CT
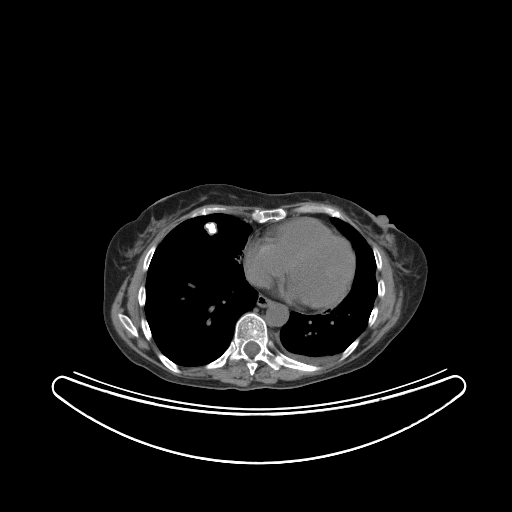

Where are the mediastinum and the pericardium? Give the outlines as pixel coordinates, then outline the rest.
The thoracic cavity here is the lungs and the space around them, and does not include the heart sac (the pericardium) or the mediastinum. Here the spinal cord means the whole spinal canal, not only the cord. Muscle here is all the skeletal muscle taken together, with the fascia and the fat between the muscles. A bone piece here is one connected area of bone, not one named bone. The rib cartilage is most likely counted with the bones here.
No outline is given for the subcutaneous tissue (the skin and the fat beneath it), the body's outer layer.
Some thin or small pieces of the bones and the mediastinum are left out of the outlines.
Outlines:
mediastinum 1: 257 290; 271 300; 288 305; 291 308; 300 312; 314 312; 315 313; 324 312; 316 314; 306 314; 297 311; 291 311; 289 313; 289 317; 287 321; 280 328; 277 337; 276 336; 270 337; 266 321; 256 312; 250 311; 256 303; 258 297
mediastinum 2: 308 213; 323 213; 324 214; 327 214; 330 216; 329 220; 331 223; 333 224; 333 225; 330 224; 327 221; 319 217; 313 216; 312 215; 300 215; 299 216; 296 216; 295 217; 287 217; 290 215; 293 215; 294 214; 307 214
mediastinum 3: 243 219; 248 219; 249 220; 252 220; 253 221; 255 221; 258 223; 265 223; 263 223; 262 224; 261 224; 258 227; 257 227; 256 228; 256 229; 253 232; 253 233; 249 237; 249 236; 252 231; 252 228; 251 227; 251 226
pericardium: 300 216; 316 217; 335 227; 350 242; 355 254; 355 269; 349 291; 336 305; 321 312; 300 311; 291 307; 288 304; 271 299; 253 287; 248 282; 245 277; 242 265; 241 259; 244 247; 257 228; 271 221; 276 221; 279 219; 295 218
muscle: 309 200; 338 206; 359 224; 387 256; 395 287; 402 289; 399 319; 364 353; 321 374; 294 380; 280 379; 274 383; 252 381; 242 386; 217 379; 172 374; 135 352; 118 335; 110 316; 113 300; 124 280; 133 275; 144 250; 166 224; 207 204; 259 206; 265 208; 255 207; 249 212; 249 219; 229 213; 223 205; 204 205; 173 227; 158 244; 154 242; 148 248; 141 266; 146 273; 145 282; 137 291; 138 305; 144 308; 145 317; 140 318; 144 337; 147 341; 153 339; 159 349; 157 358; 175 374; 182 372; 179 366; 203 366; 211 370; 223 367; 228 361; 240 360; 245 362; 251 377; 259 362; 275 371; 285 367; 310 373; 319 371; 322 367; 318 364; 339 354; 340 361; 347 358; 358 346; 360 334; 367 326; 370 328; 378 316; 379 308; 374 303; 377 297; 384 296; 386 286; 381 277; 377 280; 376 272; 383 268; 383 260; 378 247; 375 244; 371 247; 348 219; 332 206; 305 203; 294 207; 295 213; 289 215; 289 211; 280 206 with a hole at 118 313; 121 313; 122 314; 125 314; 131 320; 131 321; 133 323; 133 324; 135 326; 135 327; 137 330; 137 332; 138 333; 138 336; 137 336; 136 337; 135 336; 134 336; 123 326; 123 325; 121 323; 121 322; 118 317
spinal cord: 249 342; 254 342; 255 343; 256 343; 258 345; 258 346; 259 347; 259 350; 258 351; 258 352; 255 355; 254 355; 251 357; 250 356; 249 356; 245 352; 245 351; 244 350; 244 348; 245 347; 245 345; 247 343; 248 343
bones 1: 246 312; 256 313; 265 321; 269 337; 285 355; 307 364; 320 366; 321 368; 309 372; 281 366; 275 370; 264 361; 259 361; 251 376; 246 362; 240 359; 228 360; 223 366; 206 369; 204 366; 218 358; 229 346; 234 335; 236 322 with a hole at 249 342; 254 342; 255 343; 256 343; 258 345; 258 346; 259 347; 259 350; 258 351; 258 352; 255 355; 254 355; 251 357; 250 356; 249 356; 245 352; 245 351; 244 350; 244 348; 245 347; 245 345; 247 343; 248 343
bones 2: 278 207; 283 208; 288 211; 288 215; 285 218; 279 218; 276 220; 268 220; 265 222; 258 222; 255 220; 253 220; 251 219; 250 217; 250 212; 252 211; 255 208; 258 208; 262 210; 263 209; 271 209; 272 208; 277 208
bones 3: 305 204; 315 204; 316 205; 321 205; 322 204; 323 205; 327 205; 330 207; 332 207; 338 210; 347 219; 347 221; 342 220; 340 218; 334 216; 331 216; 327 213; 324 213; 323 212; 296 213; 294 212; 293 209; 296 207
bones 4: 204 206; 223 206; 225 207; 229 211; 229 212; 228 213; 222 213; 221 212; 218 212; 217 213; 210 213; 209 214; 206 214; 205 215; 198 215; 194 217; 189 217; 190 214; 191 214; 195 211; 197 211; 199 210; 202 207
bones 5: 118 313; 121 313; 122 314; 125 314; 131 320; 131 321; 133 323; 133 324; 135 326; 135 327; 137 330; 137 332; 138 333; 138 336; 137 336; 136 337; 135 336; 134 336; 123 326; 123 325; 121 323; 121 322; 118 317
bones 6: 159 351; 160 351; 166 357; 167 357; 171 361; 172 361; 174 363; 175 363; 178 366; 178 367; 181 370; 181 372; 180 373; 175 373; 174 372; 171 371; 163 363; 162 363; 162 362; 158 358; 158 357; 157 356; 157 352; 158 352
bones 7: 154 243; 155 243; 157 245; 156 246; 156 248; 153 253; 153 255; 149 263; 148 268; 146 272; 144 272; 142 269; 142 266; 143 265; 143 261; 144 260; 145 255; 147 251; 149 249; 149 248
bones 8: 358 337; 359 338; 359 342; 358 343; 358 344; 357 345; 357 346; 355 348; 355 349; 347 357; 346 357; 344 359; 343 359; 342 360; 340 360; 339 359; 340 358; 340 356; 341 355; 341 353; 356 338; 357 338
bones 9: 142 317; 144 317; 146 319; 148 323; 148 325; 149 326; 149 328; 151 332; 151 335; 152 336; 152 338; 150 340; 147 340; 147 339; 145 337; 143 333; 143 331; 141 327; 141 318
bones 10: 374 245; 375 245; 377 247; 377 248; 380 253; 380 255; 381 256; 381 259; 382 260; 382 268; 380 270; 377 270; 377 267; 376 266; 376 262; 375 261; 375 257; 374 256; 374 254; 373 253; 373 251; 372 250; 372 247
bones 11: 142 284; 144 284; 144 286; 145 287; 145 303; 144 304; 144 306; 140 306; 139 305; 139 303; 138 302; 138 291; 139 290; 139 288; 140 287; 140 286
bones 12: 374 306; 376 306; 378 308; 378 311; 377 312; 377 316; 376 317; 376 318; 375 319; 374 322; 372 324; 372 325; 370 327; 369 327; 367 325; 368 324; 368 320; 369 319; 369 316; 371 313; 371 311; 372 310; 372 309
torso: 205 183; 226 183; 267 193; 321 191; 349 199; 374 214; 385 214; 391 223; 420 245; 427 260; 426 285; 415 313; 385 349; 364 367; 296 388; 203 389; 170 383; 134 364; 116 346; 103 319; 107 246; 122 225; 135 219; 156 200
thoracic cavity 1: 218 213; 236 216; 251 228; 236 260; 242 266; 245 279; 256 290; 257 297; 253 307; 236 320; 232 338; 218 357; 204 365; 178 365; 160 350; 153 338; 146 318; 144 307; 146 303; 145 283; 147 271; 157 246; 173 228; 189 218
thoracic cavity 2: 331 217; 350 224; 370 246; 376 267; 377 289; 365 328; 340 353; 327 361; 313 364; 285 354; 271 338; 278 337; 281 328; 288 321; 291 312; 306 315; 323 314; 336 306; 352 287; 356 269; 356 254; 351 242; 332 223; 330 220